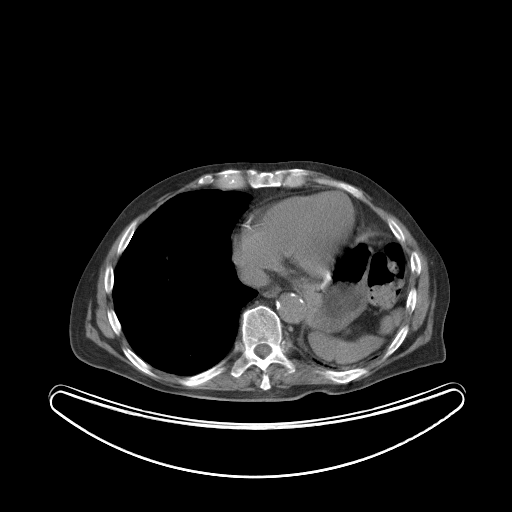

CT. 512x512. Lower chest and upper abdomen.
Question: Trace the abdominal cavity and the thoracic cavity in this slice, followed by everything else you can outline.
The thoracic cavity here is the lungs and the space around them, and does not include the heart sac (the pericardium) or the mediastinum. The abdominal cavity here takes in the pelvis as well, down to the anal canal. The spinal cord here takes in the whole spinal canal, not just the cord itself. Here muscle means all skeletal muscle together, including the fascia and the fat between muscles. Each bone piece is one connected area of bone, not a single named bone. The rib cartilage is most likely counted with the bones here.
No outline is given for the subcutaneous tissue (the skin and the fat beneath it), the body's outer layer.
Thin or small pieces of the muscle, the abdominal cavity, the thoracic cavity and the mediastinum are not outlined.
Answer: {"abdominal_cavity":[[[364,223],[367,225],[375,224],[385,230],[389,229],[407,253],[411,273],[409,290],[405,300],[405,317],[385,349],[367,362],[345,369],[324,366],[308,357],[298,346],[297,340],[302,320],[314,297],[317,284],[321,283],[327,277],[337,253],[351,242]]],"thoracic_cavity":[[[201,188],[237,190],[251,197],[235,222],[229,234],[229,241],[231,261],[238,280],[254,289],[257,294],[241,310],[240,335],[234,340],[230,352],[209,368],[182,376],[151,366],[130,347],[114,309],[112,295],[114,268],[138,226],[155,210],[180,193]]],"muscle":[[[127,225],[116,247],[115,252],[119,258],[114,267],[110,264],[105,267],[103,275],[104,291],[108,295],[111,294],[113,302],[113,308],[110,307],[106,310],[106,316],[113,332],[117,336],[122,332],[127,340],[129,346],[121,346],[121,351],[125,357],[138,370],[152,378],[157,377],[152,370],[152,367],[162,372],[181,376],[178,376],[175,380],[180,385],[193,388],[204,384],[224,372],[227,368],[226,364],[229,359],[232,356],[239,354],[231,366],[229,371],[230,375],[234,378],[238,378],[249,367],[252,365],[256,366],[262,372],[259,384],[261,391],[186,389],[171,387],[140,373],[86,336],[85,321],[88,311],[88,301],[92,297],[96,296],[99,269],[112,244]],[[362,190],[393,214],[417,242],[426,257],[429,276],[436,280],[436,296],[430,340],[372,374],[354,380],[369,372],[365,366],[360,366],[384,350],[381,359],[386,359],[405,340],[409,326],[402,324],[406,312],[411,314],[417,302],[417,290],[414,286],[410,288],[411,274],[419,275],[422,269],[421,259],[415,250],[408,256],[402,244],[406,238],[398,223],[391,216],[387,216],[386,224],[362,201],[364,200]],[[294,344],[308,358],[323,366],[316,371],[318,374],[335,384],[340,384],[301,384],[293,385],[287,388],[273,387],[270,389],[271,384],[267,369],[271,364],[274,363],[283,366],[288,374],[292,374],[296,371],[295,364],[286,353],[288,350],[294,347]],[[198,177],[199,177],[196,182],[198,186],[213,185],[214,187],[201,187],[200,188],[196,188],[195,189],[180,192],[162,203],[138,225],[138,220],[136,218],[134,218],[140,213],[145,211],[153,205],[158,198],[168,192],[171,192],[183,186]],[[309,170],[320,172],[326,175],[328,175],[335,179],[337,179],[331,179],[330,178],[326,178],[325,177],[318,176],[317,177],[315,177],[313,180],[316,183],[312,183],[308,185],[305,185],[307,183],[308,181],[308,178],[311,174],[311,172]]],"mediastinum":[[[235,266],[241,281],[255,288],[263,288],[278,282],[302,282],[305,284],[317,285],[313,297],[302,317],[296,341],[290,339],[284,334],[280,317],[269,306],[257,304],[245,308],[242,311],[247,304],[257,296],[258,292],[254,288],[243,284],[239,280]],[[312,184],[333,187],[321,187],[316,189],[301,190],[289,194],[279,195],[263,200],[250,208],[243,215],[237,224],[231,240],[231,252],[230,234],[236,222],[247,208],[248,203],[252,198],[249,194],[238,190],[247,187],[254,189],[270,187],[297,188]],[[358,200],[363,202],[368,207],[369,207],[369,208],[371,209],[385,223],[388,229],[385,229],[383,227],[381,227],[377,225],[375,223],[368,223],[367,224],[365,223],[364,222],[364,213],[362,211],[362,207],[359,203],[359,201]]],"bones":[{"outer":[[257,305],[269,307],[279,317],[283,334],[293,343],[285,353],[294,372],[271,363],[266,369],[270,388],[263,390],[263,372],[254,364],[238,377],[231,375],[240,355],[236,353],[224,371],[204,383],[192,387],[176,380],[225,358],[240,338],[242,312]],"hole":[[260,344],[265,344],[266,345],[267,345],[268,346],[269,346],[269,347],[270,348],[270,352],[266,356],[265,356],[264,357],[261,357],[260,356],[259,356],[257,354],[256,354],[256,353],[255,352],[255,348],[258,345],[259,345]]},[[290,168],[303,168],[310,172],[306,183],[302,186],[297,187],[270,186],[254,188],[247,186],[240,189],[220,189],[215,187],[213,184],[198,185],[197,183],[201,176],[205,174],[213,175],[216,172],[225,169],[254,169],[258,172],[274,172],[279,169]],[[322,367],[324,368],[332,369],[336,371],[344,371],[345,370],[348,370],[349,369],[352,369],[357,367],[365,367],[368,370],[368,372],[365,374],[363,374],[359,376],[357,378],[347,383],[335,383],[330,379],[325,377],[323,375],[317,372],[317,371]],[[318,177],[325,178],[326,179],[330,179],[331,180],[342,181],[346,183],[349,183],[355,186],[361,190],[363,194],[363,200],[360,200],[356,198],[353,196],[352,194],[345,191],[343,189],[340,189],[337,187],[317,183],[314,180],[315,178],[317,178]],[[122,346],[127,346],[129,347],[135,354],[136,354],[142,360],[143,360],[147,364],[148,364],[151,367],[151,370],[156,375],[156,377],[152,377],[146,374],[144,372],[141,371],[139,369],[138,369],[126,357],[126,356],[123,353],[122,351]],[[404,325],[407,325],[408,326],[408,331],[407,332],[407,334],[404,340],[401,343],[401,344],[390,355],[389,355],[386,358],[382,359],[382,357],[386,350],[386,348],[392,341],[392,340],[394,338],[394,337],[396,335],[397,332],[400,329],[400,328]],[[134,219],[136,219],[137,220],[137,227],[135,229],[135,230],[134,231],[128,244],[126,246],[125,249],[120,255],[117,255],[117,253],[116,252],[117,251],[117,247],[118,246],[118,244],[121,239],[121,237],[122,236],[125,229],[128,226],[128,225]],[[108,265],[110,265],[113,268],[113,287],[112,288],[112,291],[111,292],[111,293],[110,294],[108,294],[107,293],[106,293],[106,292],[105,291],[105,288],[104,287],[104,275],[105,274],[105,269],[106,268],[106,267]],[[387,217],[391,217],[400,227],[400,228],[404,235],[404,237],[405,238],[405,239],[403,242],[402,242],[401,243],[398,239],[397,240],[397,239],[395,237],[395,236],[392,233],[391,230],[389,228],[389,227],[387,224],[387,221],[386,220],[387,219]],[[110,308],[112,308],[114,310],[114,311],[115,312],[115,314],[116,315],[116,316],[120,323],[120,325],[121,326],[121,332],[118,335],[117,335],[114,332],[114,331],[113,330],[113,329],[109,322],[109,320],[108,319],[108,317],[107,316],[107,310]],[[413,287],[414,287],[416,290],[416,302],[415,303],[415,306],[414,307],[414,309],[411,313],[409,313],[409,312],[408,311],[407,311],[407,310],[406,309],[406,300],[407,299],[407,297],[408,296],[408,294],[409,293],[409,291],[410,290],[410,289]],[[413,251],[415,251],[418,254],[418,256],[419,257],[419,258],[420,259],[420,263],[421,264],[421,269],[420,270],[420,272],[419,273],[419,274],[417,274],[416,273],[412,273],[411,272],[411,261],[410,260],[410,255],[411,254],[411,253]]],"spinal_cord":[[[260,344],[265,344],[266,345],[267,345],[268,346],[269,346],[269,347],[270,348],[270,352],[266,356],[265,356],[264,357],[261,357],[260,356],[259,356],[257,354],[256,354],[256,353],[255,352],[255,348],[258,345],[259,345]]],"pericardium":[[[321,188],[337,188],[352,195],[358,201],[363,213],[363,223],[350,242],[344,245],[336,253],[326,277],[321,282],[314,284],[305,283],[302,281],[278,281],[263,287],[255,287],[242,281],[232,259],[232,240],[238,224],[244,215],[254,206],[268,199]]],"torso":[[[288,160],[318,161],[360,172],[388,191],[411,214],[439,252],[448,273],[450,300],[443,328],[446,348],[443,362],[342,394],[316,392],[294,400],[250,402],[159,391],[91,366],[74,355],[68,333],[74,291],[104,234],[131,200],[155,183],[193,167]]]}